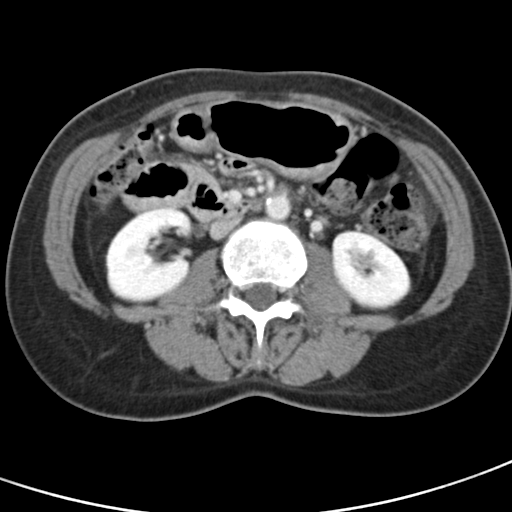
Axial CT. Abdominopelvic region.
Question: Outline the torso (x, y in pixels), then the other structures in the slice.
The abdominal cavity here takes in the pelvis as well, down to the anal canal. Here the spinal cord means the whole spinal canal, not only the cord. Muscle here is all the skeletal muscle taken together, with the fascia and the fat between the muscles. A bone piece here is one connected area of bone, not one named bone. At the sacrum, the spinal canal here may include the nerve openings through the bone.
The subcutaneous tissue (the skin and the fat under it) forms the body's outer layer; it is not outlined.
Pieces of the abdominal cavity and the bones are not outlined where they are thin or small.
Answer: {"torso":[[[188,67],[344,74],[412,106],[452,140],[495,210],[511,259],[507,330],[493,360],[471,387],[440,406],[400,416],[326,413],[250,396],[188,417],[133,421],[84,411],[42,382],[14,337],[4,296],[8,245],[29,177],[55,134],[79,111],[135,82]]],"muscle":[{"outer":[[209,90],[300,92],[327,96],[361,109],[392,128],[418,138],[439,154],[465,193],[471,217],[475,250],[474,265],[450,305],[443,311],[411,325],[402,325],[381,333],[371,342],[358,364],[334,382],[290,387],[259,376],[216,384],[204,379],[186,378],[159,359],[150,349],[144,337],[133,329],[105,321],[65,296],[58,289],[50,273],[45,261],[42,243],[50,187],[64,159],[86,139],[128,125],[166,101],[190,93]],"holes":[[[222,100],[328,110],[403,152],[445,225],[445,263],[419,308],[352,313],[330,250],[306,240],[307,268],[291,290],[305,312],[269,320],[260,350],[248,318],[207,308],[230,286],[219,247],[197,255],[156,305],[94,295],[73,249],[87,184],[133,132]],[[259,357],[260,358],[261,359],[262,360],[262,361],[262,362],[262,363],[261,364],[261,365],[260,366],[260,367],[259,367],[258,367],[257,366],[256,365],[255,364],[255,363],[255,362],[255,361],[256,360],[257,359],[257,358],[258,358]]]}],"bones":[{"outer":[[259,218],[291,228],[303,242],[307,258],[307,268],[291,290],[293,300],[302,306],[304,314],[295,312],[288,319],[269,320],[260,350],[255,327],[248,318],[232,316],[225,308],[207,308],[225,296],[230,286],[220,259],[223,245],[234,230],[248,220]],"hole":[[259,284],[266,285],[271,288],[278,290],[278,292],[281,294],[283,297],[279,300],[272,303],[268,307],[263,310],[257,310],[255,309],[248,302],[242,299],[239,296],[238,296],[238,295],[240,292],[244,291],[250,287],[253,287],[255,285],[258,285]]}],"spinal_cord":[[[259,284],[266,285],[271,288],[278,290],[278,292],[281,294],[283,297],[279,300],[272,303],[268,307],[263,310],[257,310],[255,309],[248,302],[242,299],[239,296],[238,296],[238,295],[240,292],[244,291],[250,287],[253,287],[255,285],[258,285]]],"abdominal_cavity":[[[222,100],[328,110],[374,129],[403,152],[445,225],[445,263],[419,308],[403,317],[352,313],[333,276],[330,250],[262,217],[234,229],[221,249],[197,255],[185,280],[156,305],[103,303],[94,295],[73,249],[87,184],[133,132],[184,108]]]}